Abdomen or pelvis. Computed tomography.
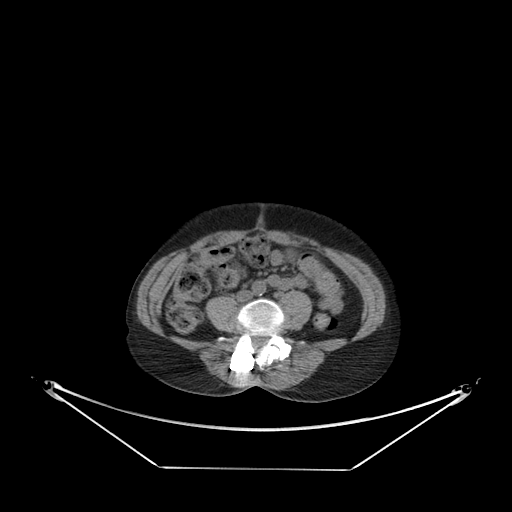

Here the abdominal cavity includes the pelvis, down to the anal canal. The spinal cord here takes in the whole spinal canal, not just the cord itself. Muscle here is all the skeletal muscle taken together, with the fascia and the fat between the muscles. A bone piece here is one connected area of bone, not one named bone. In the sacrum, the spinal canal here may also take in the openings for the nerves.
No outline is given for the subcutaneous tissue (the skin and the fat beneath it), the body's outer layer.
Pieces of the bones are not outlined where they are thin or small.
{"bones":[{"outer":[[258,298],[270,299],[280,305],[284,314],[283,328],[280,333],[291,345],[291,350],[287,357],[281,361],[273,361],[270,365],[265,366],[263,370],[260,370],[258,364],[254,362],[248,350],[239,346],[234,347],[243,331],[236,318],[238,311],[243,305]],"hole":[[252,336],[264,336],[265,337],[268,337],[268,338],[266,340],[266,341],[265,342],[265,343],[261,347],[260,347],[258,349],[256,349],[253,346],[253,344],[252,343]]}],"spinal_cord":[[[252,336],[264,336],[265,337],[268,337],[268,338],[266,340],[266,341],[265,342],[265,343],[261,347],[260,347],[258,349],[256,349],[253,346],[253,344],[252,343]]],"muscle":[{"outer":[[257,226],[262,227],[268,230],[290,231],[300,235],[307,236],[315,239],[322,245],[347,252],[361,259],[370,266],[373,272],[377,276],[380,282],[382,284],[384,289],[384,292],[385,293],[385,301],[386,302],[385,314],[384,315],[384,320],[380,326],[379,326],[373,332],[364,337],[362,339],[357,340],[353,343],[348,344],[343,347],[341,347],[336,350],[332,351],[330,353],[330,355],[325,359],[325,360],[318,367],[317,370],[309,378],[307,378],[303,380],[300,383],[296,385],[291,386],[287,389],[284,389],[283,390],[278,390],[277,389],[271,388],[260,382],[253,382],[249,385],[240,386],[239,387],[230,386],[227,383],[224,382],[222,380],[215,377],[213,375],[209,374],[206,371],[204,366],[201,363],[198,358],[194,356],[190,351],[150,331],[139,321],[136,313],[136,300],[137,299],[137,291],[138,290],[138,287],[144,276],[151,266],[161,257],[180,248],[187,247],[190,244],[193,243],[199,238],[207,234],[209,234],[216,231],[220,231],[221,230],[245,230],[246,229],[250,229]],"hole":[[254,232],[283,245],[307,244],[347,276],[362,299],[353,335],[291,335],[313,308],[297,289],[278,302],[290,353],[263,370],[248,350],[234,347],[243,330],[233,295],[211,297],[204,307],[211,324],[232,340],[166,331],[162,305],[188,258],[208,244]]}],"abdominal_cavity":[[[254,232],[283,245],[307,244],[347,276],[362,299],[353,335],[319,340],[291,335],[313,308],[297,289],[282,293],[278,303],[258,297],[240,307],[233,295],[211,297],[206,316],[225,333],[211,340],[166,331],[162,305],[188,258],[208,244],[233,243]]],"torso":[[[241,201],[289,203],[326,214],[352,228],[380,257],[397,289],[402,329],[392,364],[370,387],[328,402],[289,400],[257,386],[227,396],[201,396],[169,387],[134,363],[124,340],[127,333],[124,311],[131,285],[140,268],[166,234],[184,219],[206,208]]]}